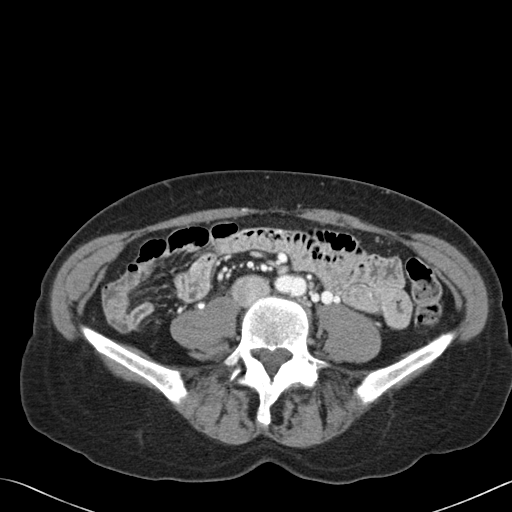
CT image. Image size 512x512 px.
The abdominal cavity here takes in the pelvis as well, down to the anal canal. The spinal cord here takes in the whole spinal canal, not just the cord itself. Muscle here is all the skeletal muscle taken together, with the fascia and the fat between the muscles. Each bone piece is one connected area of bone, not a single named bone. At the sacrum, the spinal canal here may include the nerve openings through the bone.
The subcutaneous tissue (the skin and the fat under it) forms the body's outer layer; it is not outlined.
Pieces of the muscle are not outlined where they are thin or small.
The torso is outlined by (223, 169) (304, 171) (374, 183) (435, 207) (477, 241) (500, 279) (511, 341) (511, 392) (482, 439) (426, 455) (393, 475) (346, 484) (303, 479) (269, 462) (234, 479) (181, 482) (102, 467) (30, 426) (20, 403) (20, 360) (40, 281) (58, 250) (90, 217) (138, 188). The abdominal cavity is outlined by (270, 213) (401, 242) (436, 268) (457, 321) (373, 369) (316, 357) (307, 341) (310, 311) (275, 294) (247, 308) (239, 334) (240, 308) (227, 294) (170, 321) (171, 337) (189, 351) (239, 336) (219, 361) (163, 363) (98, 331) (86, 320) (85, 306) (126, 244) (158, 230) with a hole at (332, 305) (345, 306) (351, 310) (363, 314) (373, 321) (379, 330) (381, 337) (381, 346) (379, 351) (375, 356) (371, 359) (359, 364) (355, 364) (352, 362) (342, 362) (327, 358) (319, 341) (318, 325) (317, 324) (318, 319) (316, 315) (316, 311) (318, 306) (331, 306). The spinal cord is outlined by (255, 349) (267, 349) (271, 352) (277, 349) (285, 349) (289, 352) (290, 354) (290, 356) (279, 365) (276, 372) (274, 374) (272, 375) (270, 375) (267, 372) (263, 363) (259, 359) (259, 358) (256, 355) (253, 355) (252, 354) (250, 354) (251, 353) (251, 350) (254, 350). The muscle appears in 3 outlined pieces: piece 1: (298, 205) (344, 212) (393, 231) (439, 237) (478, 270) (488, 296) (487, 318) (475, 337) (455, 343) (429, 369) (383, 395) (328, 441) (301, 448) (263, 434) (241, 444) (210, 438) (166, 399) (178, 405) (188, 396) (180, 371) (143, 357) (117, 342) (163, 364) (191, 365) (222, 361) (232, 368) (230, 381) (256, 392) (255, 419) (264, 427) (271, 423) (271, 406) (286, 390) (294, 384) (313, 388) (318, 370) (329, 364) (370, 370) (353, 389) (366, 406) (439, 357) (456, 337) (450, 329) (460, 317) (437, 268) (399, 240) (279, 212) (192, 222) (132, 239) (107, 264) (84, 306) (91, 326) (81, 323) (79, 330) (100, 354) (163, 395) (114, 376) (87, 347) (66, 339) (51, 319) (50, 289) (58, 269) (80, 245) (98, 236) (206, 209) (290, 210); piece 2: (332, 305) (345, 306) (351, 310) (363, 314) (373, 321) (379, 330) (381, 337) (381, 346) (379, 351) (375, 356) (371, 359) (359, 364) (355, 364) (352, 362) (342, 362) (327, 358) (319, 341) (318, 325) (317, 324) (318, 319) (316, 315) (316, 311) (318, 306) (331, 306); piece 3: (226, 295) (233, 299) (239, 308) (239, 312) (236, 317) (237, 332) (239, 335) (236, 334) (220, 342) (208, 350) (189, 350) (178, 343) (172, 337) (170, 333) (170, 323) (174, 318) (181, 315) (188, 310) (203, 310) (206, 307) (206, 304) (210, 300) (220, 296) (225, 296). The bones appear in 3 outlined pieces: piece 1: (269, 295) (293, 300) (309, 311) (308, 349) (328, 366) (317, 370) (318, 377) (313, 387) (306, 388) (294, 383) (286, 389) (270, 406) (271, 420) (264, 426) (256, 419) (259, 405) (257, 392) (230, 380) (233, 368) (223, 361) (240, 340) (245, 312) (258, 299); inner edge: (255, 349) (267, 349) (271, 352) (277, 349) (285, 349) (289, 352) (290, 354) (290, 356) (279, 365) (276, 372) (274, 374) (272, 375) (270, 375) (267, 372) (263, 363) (259, 359) (259, 358) (256, 355) (253, 355) (252, 354) (250, 354) (251, 353) (251, 350) (254, 350); piece 2: (81, 324) (91, 327) (98, 332) (115, 341) (126, 349) (139, 355) (143, 358) (161, 364) (166, 367) (178, 370) (187, 390) (188, 393) (187, 396) (178, 404) (172, 403) (153, 384) (145, 378) (128, 369) (120, 363) (106, 355) (100, 353) (84, 337) (80, 330) (80, 325); piece 3: (450, 330) (454, 330) (455, 331) (455, 337) (443, 352) (430, 363) (428, 363) (408, 374) (389, 387) (373, 401) (368, 403) (366, 405) (364, 405) (354, 394) (354, 389) (356, 386) (371, 370) (380, 368) (395, 362) (397, 360) (404, 357) (411, 351) (425, 345) (440, 334).